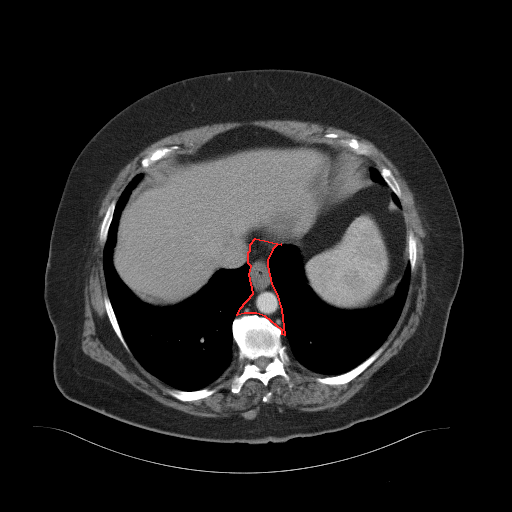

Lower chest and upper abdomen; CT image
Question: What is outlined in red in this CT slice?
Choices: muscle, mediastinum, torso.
Answer: red: mediastinum.
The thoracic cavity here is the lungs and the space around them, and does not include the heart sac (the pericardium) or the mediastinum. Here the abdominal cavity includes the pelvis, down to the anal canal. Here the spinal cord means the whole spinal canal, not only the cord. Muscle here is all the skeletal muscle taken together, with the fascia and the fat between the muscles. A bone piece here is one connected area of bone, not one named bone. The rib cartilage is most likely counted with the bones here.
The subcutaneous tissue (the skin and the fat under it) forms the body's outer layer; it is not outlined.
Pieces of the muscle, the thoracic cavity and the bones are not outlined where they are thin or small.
The mediastinum is outlined by 255 238; 281 244; 276 245; 272 249; 267 260; 267 265; 271 284; 276 293; 281 309; 284 335; 282 334; 282 330; 265 316; 256 313; 244 313; 237 315; 240 308; 253 293; 249 274; 251 266; 248 263; 248 252; 250 250; 250 244. The muscle is outlined by 269 119; 279 119; 280 120; 288 119; 289 120; 307 121; 308 122; 319 123; 323 125; 329 125; 346 130; 372 142; 395 165; 413 193; 414 201; 417 207; 418 213; 421 218; 423 227; 426 231; 426 236; 423 240; 424 244; 424 259; 426 263; 426 271; 427 272; 426 301; 423 307; 422 315; 420 318; 419 324; 415 332; 404 343; 399 351; 382 365; 353 396; 344 403; 334 408; 328 408; 317 411; 301 411; 292 408; 286 408; 283 412; 280 412; 277 410; 274 405; 268 404; 264 407; 262 407; 258 414; 252 419; 245 419; 238 415; 232 415; 228 417; 204 417; 190 414; 162 404; 149 395; 134 387; 109 367; 92 359; 82 351; 81 348; 81 334; 83 330; 83 321; 84 320; 84 296; 83 295; 83 290; 84 289; 85 280; 88 278; 90 272; 90 259; 92 253; 94 234; 98 222; 98 211; 106 192; 120 170; 139 152; 153 142; 170 134; 194 127; 199 127; 207 124; 221 123; 222 122; 249 121; 250 120; 268 120, around holes outlined by 245 126; 273 130; 298 142; 339 146; 337 139; 324 137; 326 133; 336 133; 366 144; 372 154; 363 158; 378 169; 378 163; 384 165; 399 185; 405 228; 416 238; 416 260; 402 309; 384 341; 386 346; 350 381; 335 385; 320 383; 315 379; 324 375; 290 356; 284 369; 292 387; 282 376; 276 375; 267 385; 249 378; 238 393; 233 393; 232 379; 242 372; 245 363; 236 358; 206 387; 216 387; 211 395; 182 401; 169 394; 167 390; 172 387; 144 368; 123 346; 112 327; 104 304; 108 291; 100 227; 112 200; 119 198; 136 174; 147 169; 140 163; 142 158; 156 149; 173 145; 179 148; 170 156; 187 154; 220 133 and by 269 391; 270 392; 271 392; 271 396; 269 398; 269 399; 268 400; 268 401; 267 402; 264 402; 262 400; 262 397; 267 392; 268 392. The bones appear in 9 outlined pieces: piece 1: 244 314; 265 317; 281 330; 281 341; 290 358; 284 369; 293 383; 292 387; 288 386; 282 376; 276 375; 267 385; 256 378; 249 378; 238 393; 231 391; 232 379; 242 372; 245 363; 237 358; 238 347; 233 338; 232 324; 236 316; inner edge: 261 356; 263 356; 264 357; 267 357; 268 358; 269 358; 270 359; 270 361; 268 363; 268 364; 264 368; 264 370; 263 371; 262 371; 260 369; 260 368; 259 367; 258 367; 254 363; 254 361; 257 358; 258 358; 259 357; 260 357; piece 2: 385 342; 386 342; 387 344; 381 353; 363 371; 362 371; 350 381; 346 383; 336 384; 335 385; 324 384; 316 381; 315 379; 317 377; 335 376; 336 375; 339 375; 340 374; 345 373; 353 369; 356 366; 368 358; piece 3: 326 133; 336 133; 338 134; 340 137; 342 138; 346 138; 347 139; 354 138; 359 142; 366 144; 372 150; 372 154; 371 155; 361 155; 360 154; 358 154; 352 151; 351 149; 340 145; 337 139; 327 139; 325 138; 324 137; 324 135; piece 4: 215 387; 216 387; 216 390; 211 395; 204 398; 196 399; 191 401; 182 401; 172 396; 169 394; 167 391; 168 389; 171 389; 172 388; 178 389; 179 390; 183 390; 184 391; 195 391; 196 390; 199 390; 203 388; 208 388; 210 389; piece 5: 173 145; 176 145; 179 147; 179 148; 177 150; 175 150; 171 153; 170 153; 169 155; 157 160; 151 165; 147 167; 143 167; 141 165; 140 163; 141 159; 145 156; 148 155; 154 150; 158 149; 159 148; 162 148; 163 147; 169 147; piece 6: 105 295; 107 295; 109 298; 109 301; 111 304; 112 309; 117 320; 117 323; 119 326; 121 334; 129 349; 129 351; 128 351; 123 346; 122 343; 118 338; 112 327; 112 325; 107 315; 107 312; 106 311; 105 305; 104 304; 104 296; piece 7: 114 199; 116 200; 116 203; 113 210; 113 214; 112 215; 112 218; 108 228; 106 239; 103 245; 100 243; 100 241; 99 240; 100 227; 101 226; 101 223; 103 220; 103 218; 105 215; 105 213; 107 210; 107 208; 112 200; piece 8: 378 163; 384 165; 391 171; 392 174; 396 179; 399 185; 399 187; 401 191; 401 198; 399 198; 396 195; 396 194; 393 191; 392 191; 392 190; 389 187; 389 186; 385 181; 380 171; 378 169; 379 168; 379 165; piece 9: 409 230; 410 230; 413 232; 413 233; 414 234; 414 235; 416 238; 416 260; 415 261; 415 264; 414 265; 414 268; 412 271; 411 271; 411 268; 410 267; 410 263; 409 262; 409 258; 408 257; 408 240; 407 239; 407 232. The spinal cord is outlined by 261 356; 263 356; 264 357; 267 357; 268 358; 269 358; 270 359; 270 361; 268 363; 268 364; 264 368; 264 370; 263 371; 262 371; 260 369; 260 368; 259 367; 258 367; 254 363; 254 361; 257 358; 258 358; 259 357; 260 357. The thoracic cavity appears in 4 outlined pieces: piece 1: 140 172; 143 177; 120 212; 111 256; 117 275; 140 301; 154 307; 173 306; 193 296; 218 270; 250 266; 252 293; 231 324; 237 347; 236 358; 206 387; 195 390; 175 388; 144 368; 122 334; 108 295; 103 265; 104 245; 117 200; piece 2: 285 244; 297 248; 306 282; 315 295; 340 310; 372 308; 389 300; 396 292; 408 260; 408 289; 395 324; 383 343; 353 368; 335 375; 323 375; 306 368; 288 353; 287 346; 282 341; 282 335; 285 335; 282 309; 268 265; 273 249; piece 3: 370 166; 374 166; 376 168; 377 168; 377 169; 379 171; 379 172; 380 173; 381 176; 383 178; 384 181; 386 183; 386 184; 387 185; 384 185; 383 184; 380 183; 378 181; 374 181; 370 177; 370 174; 369 173; 369 168; 370 167; piece 4: 391 191; 392 192; 393 192; 395 194; 395 195; 399 199; 399 200; 400 201; 400 204; 401 205; 401 208; 400 208; 399 207; 398 207; 394 203; 394 202; 393 201; 393 200; 392 199; 392 198; 391 197. The abdominal cavity is outlined by 245 126; 298 142; 341 146; 373 165; 369 177; 391 190; 406 229; 408 259; 393 296; 361 309; 329 305; 308 284; 295 245; 260 237; 251 240; 245 265; 218 269; 198 291; 173 305; 146 303; 122 281; 113 249; 121 212; 142 172. The torso is outlined by 255 68; 311 71; 359 87; 399 112; 436 157; 461 223; 463 267; 440 358; 429 385; 401 407; 346 429; 258 444; 209 442; 162 434; 68 400; 57 388; 53 377; 55 334; 43 293; 52 226; 73 162; 110 118; 145 94; 192 76.